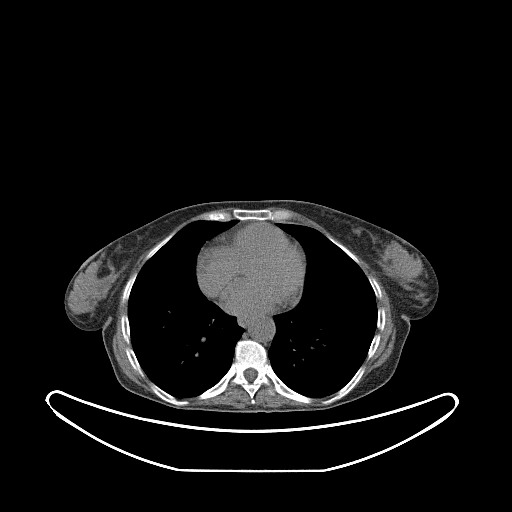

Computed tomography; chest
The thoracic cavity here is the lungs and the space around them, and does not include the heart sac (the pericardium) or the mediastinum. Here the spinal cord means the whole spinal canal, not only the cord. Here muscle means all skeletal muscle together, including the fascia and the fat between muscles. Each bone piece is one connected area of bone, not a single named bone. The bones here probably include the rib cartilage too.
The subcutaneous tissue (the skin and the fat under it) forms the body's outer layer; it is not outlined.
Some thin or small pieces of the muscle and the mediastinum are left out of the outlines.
Outlines:
torso: 274 199; 313 202; 357 216; 402 237; 432 265; 439 286; 436 303; 426 316; 410 322; 391 378; 370 393; 329 409; 288 412; 176 409; 120 385; 106 353; 102 332; 79 329; 64 309; 66 287; 84 260; 116 238; 181 207; 214 201
mediastinum: 248 314; 267 314; 268 315; 274 315; 273 316; 273 320; 275 324; 275 333; 267 351; 262 344; 253 339; 250 339; 249 338; 240 339; 242 336; 242 334; 244 332; 244 329; 241 326; 238 325; 236 317; 235 316; 233 315; 231 315; 235 316; 245 316
bones 1: 247 339; 262 345; 276 375; 289 388; 311 397; 312 402; 304 403; 276 392; 271 394; 268 390; 270 387; 262 384; 255 392; 255 402; 252 404; 247 391; 232 382; 223 392; 198 399; 198 395; 216 384; 227 372; 234 360; 237 342, around a hole outlined by 248 368; 252 368; 253 369; 254 369; 256 371; 256 372; 257 373; 257 374; 256 375; 256 376; 255 377; 255 378; 252 381; 249 381; 245 377; 245 376; 244 375; 244 371; 246 369; 247 369
bones 2: 235 208; 241 209; 267 208; 270 210; 276 209; 288 210; 292 213; 292 217; 290 220; 284 220; 283 221; 253 220; 252 219; 240 220; 235 218; 226 221; 206 220; 201 219; 202 216; 206 213; 216 211; 228 211; 230 212
bones 3: 124 313; 127 314; 127 318; 129 324; 130 346; 132 348; 135 354; 135 356; 139 363; 139 365; 144 373; 144 377; 142 377; 132 367; 128 359; 125 350; 126 347; 128 345; 124 340; 122 334; 122 330; 121 329; 121 316; 122 314
bones 4: 362 364; 365 366; 364 372; 362 374; 360 379; 355 386; 346 395; 340 399; 336 401; 334 401; 332 403; 330 403; 326 405; 321 404; 321 402; 322 401; 330 398; 333 396; 336 393; 336 392; 343 387; 351 379
bones 5: 151 381; 158 387; 159 387; 167 393; 170 394; 175 398; 177 399; 179 399; 180 400; 186 400; 188 401; 188 404; 186 405; 175 405; 169 402; 167 402; 163 400; 161 398; 158 397; 152 391; 149 385; 149 383
bones 6: 134 273; 137 273; 137 275; 132 285; 132 287; 131 288; 131 290; 129 294; 129 297; 128 298; 128 300; 127 302; 125 302; 124 303; 122 301; 122 296; 123 295; 124 286; 127 280
bones 7: 173 231; 175 231; 176 232; 175 234; 159 249; 158 249; 157 251; 156 251; 155 253; 153 254; 153 255; 152 255; 147 260; 145 261; 144 260; 145 259; 145 257; 150 251; 150 250; 158 243; 159 243; 166 236; 167 236; 171 232
bones 8: 328 235; 331 236; 338 242; 339 242; 341 244; 342 244; 345 247; 346 247; 354 255; 355 255; 358 259; 360 264; 359 265; 355 261; 354 261; 343 250; 342 250; 338 246; 337 246; 334 243; 333 243; 326 236; 327 236
bones 9: 376 333; 378 333; 380 335; 380 338; 379 339; 379 343; 373 355; 369 359; 367 359; 366 357; 368 353; 368 350; 369 349; 369 347; 371 344; 371 342; 373 339; 373 337
bones 10: 378 307; 383 307; 383 308; 384 309; 384 311; 385 312; 385 323; 384 324; 384 327; 383 328; 383 329; 381 331; 380 330; 379 330; 378 329; 377 329; 377 318; 378 317
bones 11: 367 276; 371 276; 372 277; 373 277; 376 280; 377 283; 379 285; 379 287; 380 288; 380 290; 381 291; 381 298; 380 299; 379 299; 378 298; 376 298; 376 296; 374 293; 373 288; 372 287; 372 286; 371 285; 371 284; 370 283
pericardium: 248 221; 269 222; 277 226; 294 238; 299 243; 305 254; 306 269; 303 291; 296 305; 287 311; 274 314; 231 314; 224 311; 217 304; 208 299; 201 291; 198 285; 195 274; 196 260; 202 247; 222 232; 242 222
thoracic cavity 1: 233 219; 236 222; 232 226; 202 244; 196 256; 194 274; 203 295; 224 312; 235 317; 243 332; 234 346; 233 360; 220 379; 196 396; 180 399; 153 382; 140 365; 130 337; 127 313; 130 294; 145 262; 186 225; 197 220; 226 222
thoracic cavity 2: 278 223; 305 225; 323 234; 359 266; 375 296; 376 330; 365 359; 343 386; 335 393; 324 397; 308 396; 289 387; 274 371; 268 358; 267 352; 276 333; 274 316; 291 310; 300 301; 307 269; 306 254; 302 246; 292 235; 279 227
spinal cord: 248 368; 252 368; 253 369; 254 369; 256 371; 256 372; 257 373; 257 374; 256 375; 256 376; 255 377; 255 378; 252 381; 249 381; 245 377; 245 376; 244 375; 244 371; 246 369; 247 369
muscle 1: 230 383; 234 385; 239 385; 245 390; 250 398; 250 403; 252 405; 256 402; 254 396; 262 385; 269 387; 267 390; 271 395; 276 393; 291 400; 308 405; 313 402; 313 398; 324 398; 334 394; 322 400; 320 402; 320 404; 323 405; 322 406; 283 404; 278 407; 248 405; 239 408; 225 404; 187 405; 189 404; 189 401; 184 399; 191 397; 196 397; 198 400; 212 398; 223 393; 228 388
muscle 2: 350 250; 366 262; 375 272; 376 276; 389 298; 392 322; 395 328; 395 340; 390 356; 384 363; 370 372; 366 378; 356 387; 366 369; 366 366; 363 364; 364 361; 366 359; 369 360; 374 355; 378 348; 381 335; 376 331; 378 330; 381 332; 384 329; 386 323; 386 312; 383 306; 377 305; 376 299; 380 300; 382 298; 382 291; 380 285; 373 276; 365 274; 360 267; 361 263; 359 259
muscle 3: 123 288; 121 301; 124 304; 127 303; 127 311; 122 313; 120 316; 121 334; 127 345; 124 350; 131 367; 142 378; 145 377; 145 374; 150 380; 148 385; 153 393; 145 390; 125 375; 121 370; 113 351; 112 340; 116 329; 119 297
muscle 4: 289 210; 291 210; 292 211; 297 212; 315 221; 317 223; 321 225; 331 235; 329 234; 327 235; 325 235; 319 230; 311 226; 309 226; 305 224; 301 224; 300 223; 297 223; 294 221; 292 221; 291 220; 293 217; 293 213
muscle 5: 150 248; 151 248; 144 257; 144 259; 143 260; 144 261; 144 263; 141 267; 141 268; 139 270; 139 271; 138 272; 134 272; 129 277; 129 275; 130 274; 130 273; 131 272; 134 265; 136 263; 138 258; 145 251; 148 250
muscle 6: 205 212; 208 212; 206 212; 204 213; 201 216; 200 219; 197 219; 196 220; 191 221; 189 223; 186 224; 183 227; 182 227; 179 230; 177 231; 175 230; 173 230; 176 226; 179 225; 182 222; 194 216; 196 216; 199 214; 201 214